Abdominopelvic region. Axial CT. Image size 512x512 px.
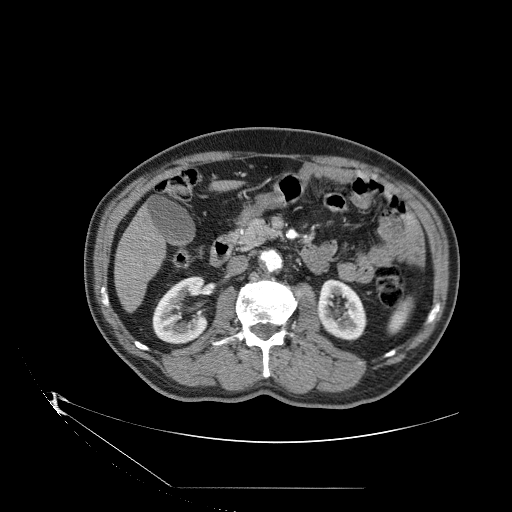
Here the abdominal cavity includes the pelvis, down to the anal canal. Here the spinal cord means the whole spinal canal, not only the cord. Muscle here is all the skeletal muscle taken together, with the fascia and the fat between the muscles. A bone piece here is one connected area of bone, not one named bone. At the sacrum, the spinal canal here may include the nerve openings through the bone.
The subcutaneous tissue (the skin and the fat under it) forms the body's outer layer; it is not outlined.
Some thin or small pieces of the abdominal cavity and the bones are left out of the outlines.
Outlines:
torso: [[248,126],[321,131],[375,148],[421,179],[451,220],[460,256],[452,316],[428,357],[380,399],[347,409],[299,407],[265,394],[235,403],[175,400],[140,378],[112,350],[93,321],[84,289],[83,251],[91,215],[102,196],[134,166],[172,144],[210,131]]
spinal cord: [[258,323],[261,323],[262,324],[265,324],[266,323],[270,323],[271,324],[273,324],[278,327],[278,330],[277,331],[276,331],[273,334],[272,334],[267,339],[263,339],[262,338],[261,338],[260,337],[257,336],[251,330],[251,327],[252,326],[253,326]]
muscle: [[211,150],[256,151],[257,152],[268,152],[269,153],[299,153],[300,154],[310,154],[311,155],[336,155],[337,156],[342,156],[356,159],[362,162],[365,162],[368,164],[380,167],[386,173],[394,178],[412,185],[421,192],[433,205],[440,216],[448,237],[448,243],[449,244],[449,278],[448,279],[447,297],[442,315],[429,338],[422,343],[421,345],[413,349],[407,355],[407,357],[402,361],[395,364],[381,367],[373,371],[368,371],[363,376],[359,383],[348,390],[342,392],[321,392],[314,389],[304,394],[295,394],[287,392],[281,387],[276,385],[275,383],[271,383],[270,384],[256,383],[252,387],[241,391],[228,391],[217,385],[216,386],[204,386],[203,387],[200,386],[185,386],[166,377],[157,367],[147,360],[128,353],[118,343],[116,338],[111,332],[110,328],[104,321],[103,316],[99,309],[99,306],[96,301],[94,294],[92,257],[93,256],[93,249],[94,248],[97,226],[102,210],[112,197],[131,181],[140,175],[142,175],[147,172],[150,173],[173,159],[176,159],[179,157],[196,152],[210,151]], around a hole outlined by [[254,157],[360,170],[409,200],[431,245],[434,320],[393,355],[365,358],[320,332],[314,292],[293,284],[297,306],[286,328],[294,336],[269,349],[264,378],[258,346],[211,343],[241,328],[230,288],[188,345],[138,348],[101,302],[119,222],[166,174]]
bones 1: [[271,278],[290,286],[297,306],[286,324],[294,336],[287,335],[283,344],[273,345],[269,349],[268,366],[271,375],[264,378],[262,352],[258,346],[247,346],[243,340],[220,345],[212,345],[211,342],[240,330],[241,325],[235,311],[240,288],[248,282]] with a hole at [[258,323],[261,323],[262,324],[265,324],[266,323],[270,323],[271,324],[273,324],[278,327],[278,330],[277,331],[276,331],[273,334],[272,334],[267,339],[263,339],[262,338],[261,338],[260,337],[257,336],[251,330],[251,327],[252,326],[253,326]]
bones 2: [[437,302],[438,302],[439,303],[439,305],[440,306],[440,309],[439,310],[439,311],[436,314],[436,315],[435,316],[435,318],[432,322],[431,322],[430,323],[426,323],[426,318],[428,315],[428,313],[430,311],[430,310],[432,308],[432,307]]
abdominal cavity: [[254,157],[360,170],[413,204],[429,236],[433,270],[430,309],[414,335],[368,358],[337,347],[320,332],[310,286],[274,277],[248,281],[237,294],[222,291],[211,325],[188,345],[166,352],[132,335],[107,289],[112,238],[126,211],[166,174],[196,163]]